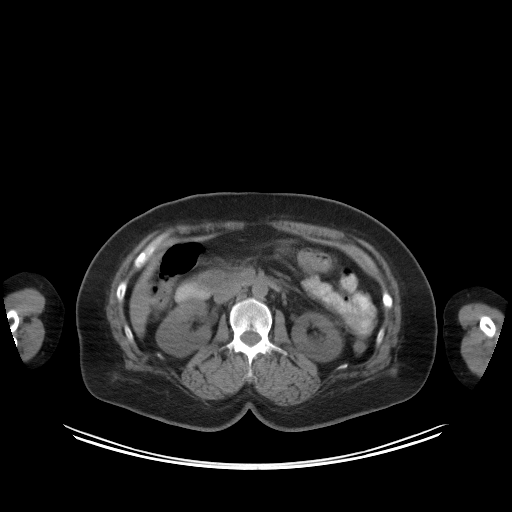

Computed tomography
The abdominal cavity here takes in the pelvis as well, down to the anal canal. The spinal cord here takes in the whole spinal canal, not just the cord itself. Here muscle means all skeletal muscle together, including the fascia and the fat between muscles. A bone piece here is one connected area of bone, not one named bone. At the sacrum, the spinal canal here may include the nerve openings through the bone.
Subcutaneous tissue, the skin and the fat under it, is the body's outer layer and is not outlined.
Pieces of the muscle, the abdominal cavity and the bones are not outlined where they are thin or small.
The spinal cord is outlined by [[247,331],[251,331],[252,332],[255,332],[256,333],[257,333],[259,335],[259,336],[260,337],[260,339],[256,343],[255,343],[252,345],[249,345],[248,344],[245,343],[241,339],[241,336],[242,335],[242,334],[243,334],[245,332],[246,332]]. The muscle appears in 3 outlined pieces: piece 1: [[265,219],[287,219],[339,229],[365,240],[381,254],[397,282],[401,307],[400,334],[393,353],[384,369],[374,375],[358,380],[338,380],[307,400],[290,406],[276,405],[258,393],[252,384],[246,383],[237,392],[220,401],[210,402],[199,400],[191,397],[183,389],[162,375],[127,369],[125,367],[123,351],[111,333],[105,308],[108,303],[109,292],[113,278],[121,263],[131,250],[152,230],[176,222],[194,220],[258,221]]; inner edges: [[261,224],[343,251],[391,296],[392,306],[382,306],[382,340],[367,359],[321,371],[292,345],[281,309],[274,312],[268,339],[287,354],[274,350],[258,353],[251,363],[251,376],[247,376],[245,354],[222,348],[233,338],[224,313],[211,342],[182,365],[173,363],[162,351],[142,350],[128,340],[125,299],[117,299],[116,289],[122,281],[128,284],[140,269],[133,261],[149,242],[166,233],[149,260],[165,246],[211,240]], then [[364,254],[367,254],[369,256],[370,256],[371,257],[371,258],[373,260],[373,261],[375,263],[375,264],[377,267],[377,270],[376,271],[374,271],[370,267],[370,266],[369,265],[368,265],[368,264],[367,263],[367,262],[366,261],[366,260],[364,257]]; piece 2: [[473,302],[481,302],[487,304],[498,309],[501,312],[504,313],[504,321],[501,327],[501,330],[496,334],[494,353],[489,359],[485,367],[484,374],[480,378],[478,378],[477,375],[473,373],[468,368],[460,352],[461,332],[458,324],[458,311],[463,305]]; inner edge: [[482,315],[487,315],[488,316],[489,316],[490,317],[490,318],[493,321],[493,322],[495,325],[495,329],[496,330],[496,333],[494,336],[493,336],[492,337],[489,337],[488,336],[487,336],[480,329],[480,328],[479,327],[479,321],[480,320],[480,317]]; piece 3: [[27,287],[31,287],[38,290],[44,296],[46,310],[46,324],[44,338],[41,347],[33,357],[28,360],[23,361],[18,353],[18,341],[14,334],[18,328],[20,318],[18,312],[14,308],[10,308],[6,313],[5,312],[3,298],[12,292]]. The abdominal cavity is outlined by [[261,224],[335,247],[377,282],[383,319],[369,357],[321,371],[292,345],[283,311],[276,309],[273,318],[270,308],[252,296],[236,301],[227,320],[222,313],[211,342],[182,365],[162,351],[140,349],[124,312],[128,284],[140,268],[165,246],[211,240]]. The torso is outlined by [[251,190],[308,193],[345,202],[377,218],[410,249],[430,283],[437,318],[434,362],[415,395],[383,409],[304,431],[273,429],[250,410],[225,429],[199,431],[102,401],[86,389],[78,361],[75,300],[84,272],[100,246],[125,222],[165,201],[195,193]]. The bones appear in 8 outlined pieces: piece 1: [[248,297],[263,302],[269,308],[272,314],[272,325],[268,333],[268,339],[287,352],[286,355],[274,350],[265,354],[258,353],[251,363],[251,376],[247,376],[249,365],[245,354],[230,352],[226,348],[222,348],[233,338],[233,332],[228,321],[232,306]] with a hole at [[247,331],[251,331],[252,332],[255,332],[256,333],[257,333],[259,335],[259,336],[260,337],[260,339],[256,343],[255,343],[252,345],[249,345],[248,344],[245,343],[241,339],[241,336],[242,335],[242,334],[243,334],[245,332],[246,332]]; piece 2: [[164,232],[166,233],[165,236],[159,243],[159,244],[157,246],[157,247],[155,249],[153,253],[147,259],[147,260],[143,264],[143,265],[141,266],[141,267],[139,268],[136,268],[133,265],[133,261],[135,257],[148,244],[149,242],[150,242],[158,235]]; piece 3: [[482,315],[487,315],[488,316],[489,316],[490,317],[490,318],[493,321],[493,322],[495,325],[495,329],[496,330],[496,333],[494,336],[493,336],[492,337],[489,337],[488,336],[487,336],[480,329],[480,328],[479,327],[479,321],[480,320],[480,317]]; piece 4: [[10,309],[14,309],[17,312],[17,314],[19,318],[19,322],[18,323],[17,328],[14,331],[14,333],[13,334],[17,341],[17,345],[16,345],[16,342],[14,339],[14,336],[8,324],[8,318],[7,317],[7,313]]; piece 5: [[122,281],[126,281],[127,282],[127,287],[126,288],[126,291],[125,292],[125,294],[124,295],[124,297],[123,298],[123,299],[121,301],[119,301],[117,299],[117,298],[116,297],[116,289],[117,288],[117,287],[118,286],[118,285]]; piece 6: [[383,290],[385,290],[391,296],[391,297],[392,298],[392,306],[390,308],[387,308],[386,307],[385,307],[383,305],[383,303],[382,302],[382,291]]; piece 7: [[125,323],[127,323],[127,324],[129,326],[129,328],[131,330],[131,332],[132,333],[132,335],[133,336],[133,339],[134,340],[134,341],[133,342],[130,342],[128,340],[128,339],[127,338],[127,337],[125,334],[125,332],[124,331],[124,325],[125,324]]; piece 8: [[364,254],[367,254],[369,256],[370,256],[371,257],[371,258],[373,260],[373,261],[375,263],[375,264],[377,267],[377,270],[376,271],[374,271],[370,267],[370,266],[369,265],[368,265],[368,264],[367,263],[367,262],[366,261],[366,260],[364,257]]. The left arm is outlined by [[472,284],[487,286],[504,296],[507,301],[505,306],[504,321],[501,330],[499,332],[497,344],[496,343],[495,344],[494,353],[489,359],[485,367],[484,374],[471,390],[462,385],[456,379],[450,369],[445,354],[442,328],[443,310],[449,297],[457,290]]. The right arm is outlined by [[22,270],[36,271],[45,276],[52,283],[58,292],[65,309],[61,335],[54,352],[51,357],[43,365],[31,371],[27,369],[18,353],[18,346],[16,345],[14,336],[8,324],[8,318],[5,312],[3,298],[4,297],[3,292],[4,278],[13,273]].